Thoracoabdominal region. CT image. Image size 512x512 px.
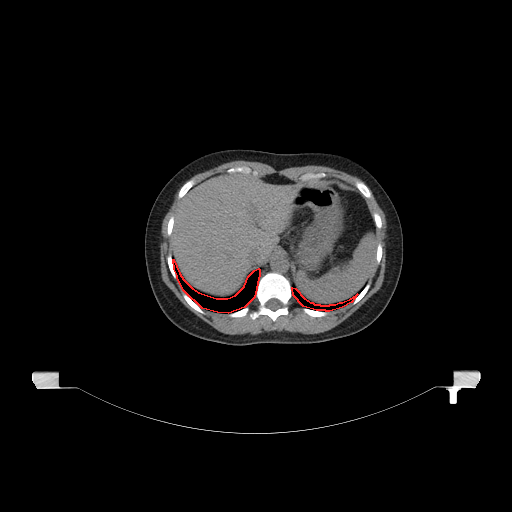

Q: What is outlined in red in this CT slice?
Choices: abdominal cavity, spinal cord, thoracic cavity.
A: red: thoracic cavity.
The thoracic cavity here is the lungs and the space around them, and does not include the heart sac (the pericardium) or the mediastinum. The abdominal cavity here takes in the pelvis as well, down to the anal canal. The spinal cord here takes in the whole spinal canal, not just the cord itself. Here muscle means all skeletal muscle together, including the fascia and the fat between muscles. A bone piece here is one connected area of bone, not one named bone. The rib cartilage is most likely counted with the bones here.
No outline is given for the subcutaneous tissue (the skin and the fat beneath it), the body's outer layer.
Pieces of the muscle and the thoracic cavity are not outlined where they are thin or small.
{"thoracic_cavity":[[[173,259],[179,273],[183,279],[192,288],[198,292],[216,298],[227,298],[235,295],[244,286],[248,276],[254,270],[258,268],[259,269],[259,274],[254,297],[244,307],[228,313],[217,312],[202,308],[184,291],[177,278],[177,275],[174,269]],[[292,287],[295,288],[304,298],[310,302],[312,302],[314,304],[319,304],[320,305],[329,305],[330,304],[335,304],[339,302],[342,302],[351,298],[357,294],[351,302],[342,307],[329,311],[326,311],[325,310],[316,310],[303,306],[293,295]]],"mediastinum":[[[276,251],[283,252],[291,259],[291,265],[292,266],[292,283],[291,283],[283,274],[276,271],[268,271],[263,274],[259,278],[259,275],[260,274],[260,267],[264,262],[265,262],[266,260],[267,260],[268,258],[269,258],[270,256],[271,256],[272,254]]],"spinal_cord":[[[272,298],[275,298],[276,299],[277,299],[282,304],[282,306],[281,307],[280,307],[279,308],[278,308],[277,309],[276,309],[275,310],[272,310],[271,309],[270,309],[268,307],[267,307],[266,306],[266,303],[270,299],[271,299]]],"muscle":[[[177,191],[177,197],[181,199],[175,215],[171,215],[167,221],[166,234],[170,237],[171,252],[165,258],[172,277],[177,279],[183,290],[183,298],[201,314],[205,313],[203,309],[227,314],[231,318],[240,318],[248,314],[252,320],[265,315],[274,322],[278,317],[289,314],[288,304],[293,296],[303,307],[303,312],[314,318],[324,317],[330,311],[350,303],[356,304],[370,288],[370,276],[376,263],[380,263],[383,253],[383,246],[378,243],[376,234],[376,229],[382,227],[382,219],[376,211],[371,212],[366,200],[372,197],[372,192],[385,214],[387,225],[386,267],[382,285],[341,323],[323,332],[305,334],[275,330],[253,335],[220,332],[186,308],[161,277],[161,225]],[[234,160],[261,162],[268,164],[278,170],[296,166],[323,165],[344,171],[349,174],[357,176],[362,180],[356,180],[354,182],[354,187],[339,179],[326,177],[328,175],[324,171],[308,171],[303,173],[297,180],[291,179],[278,173],[271,173],[260,176],[258,175],[258,172],[255,169],[252,169],[247,165],[237,165],[229,167],[225,171],[211,174],[196,183],[196,181],[193,178],[190,178],[195,174]],[[254,298],[255,298],[256,299],[256,300],[257,301],[257,302],[258,303],[258,304],[257,305],[257,307],[256,308],[256,309],[254,309],[253,310],[252,310],[251,311],[250,311],[250,303],[251,302],[251,301]]],"bones":[{"outer":[[268,272],[276,272],[283,275],[291,284],[292,296],[287,304],[288,314],[282,314],[274,321],[265,314],[262,314],[254,319],[252,319],[248,313],[240,317],[229,316],[229,313],[238,311],[249,304],[250,312],[257,309],[259,303],[255,294],[258,281]],"hole":[[272,298],[275,298],[276,299],[277,299],[282,304],[282,306],[281,307],[280,307],[279,308],[278,308],[277,309],[276,309],[275,310],[272,310],[271,309],[270,309],[268,307],[267,307],[266,306],[266,303],[270,299],[271,299]]},[[237,166],[247,166],[248,167],[249,167],[252,170],[255,170],[257,172],[257,174],[256,175],[254,175],[252,173],[243,173],[242,172],[227,172],[226,171],[227,170],[227,169],[228,169],[229,168],[231,168],[232,167],[236,167]],[[358,180],[359,180],[360,181],[362,181],[369,188],[369,189],[370,190],[370,191],[371,192],[371,197],[370,197],[369,198],[366,198],[365,197],[364,197],[364,196],[359,191],[359,190],[355,186],[355,182],[356,181],[357,181]],[[308,172],[310,172],[311,173],[318,173],[319,172],[324,172],[325,173],[326,173],[327,176],[326,176],[325,177],[323,177],[322,178],[319,178],[318,179],[309,179],[308,180],[301,180],[300,179],[300,177],[303,174],[304,174],[305,173],[307,173]],[[189,179],[193,179],[195,181],[195,183],[187,191],[187,192],[181,198],[179,198],[178,197],[178,191],[179,190],[179,189],[181,187],[181,186],[186,181],[187,181]],[[304,307],[305,308],[307,308],[308,309],[310,309],[311,310],[315,310],[316,311],[325,311],[326,312],[328,312],[328,313],[324,316],[321,316],[320,317],[314,317],[313,316],[311,316],[307,313],[304,312],[304,311],[303,310],[303,308]],[[183,292],[184,292],[195,303],[196,303],[204,311],[204,313],[201,313],[200,312],[199,312],[198,311],[197,311],[196,310],[195,310],[186,301],[186,300],[184,298],[184,297],[183,296]],[[368,282],[369,282],[370,283],[370,286],[369,287],[369,288],[367,290],[367,291],[365,293],[365,294],[356,303],[355,303],[354,304],[353,304],[352,303],[352,302],[353,301],[353,300],[357,296],[357,295],[363,289],[363,288],[366,285],[366,284]],[[170,253],[171,253],[171,257],[172,258],[172,264],[173,265],[173,269],[176,275],[176,278],[174,278],[173,277],[169,269],[169,267],[168,266],[168,263],[167,262],[167,259],[166,258],[167,257],[167,255]],[[374,212],[376,212],[380,216],[380,218],[381,219],[381,227],[380,228],[377,228],[376,227],[376,226],[375,225],[375,222],[374,221],[374,219],[373,218],[373,216],[372,215],[372,214]],[[379,243],[380,243],[381,244],[381,245],[382,246],[382,253],[381,254],[381,258],[380,259],[380,261],[379,262],[379,263],[377,263],[376,262],[376,250],[377,249],[377,245]],[[171,216],[173,216],[174,217],[174,220],[173,221],[173,227],[172,228],[172,230],[171,231],[171,234],[170,235],[168,235],[167,234],[167,225],[168,224],[168,221],[169,220],[169,219],[170,218],[170,217]]],"abdominal_cavity":[[[222,172],[260,177],[278,174],[294,181],[331,178],[357,189],[365,198],[376,228],[375,266],[365,285],[342,301],[314,303],[292,286],[292,259],[283,251],[276,250],[231,296],[216,297],[192,287],[172,257],[170,236],[176,211],[182,198],[195,184]]],"torso":[[[236,148],[275,153],[339,154],[361,164],[383,187],[400,219],[404,246],[403,263],[389,303],[379,317],[366,328],[345,337],[316,343],[228,345],[192,336],[179,329],[164,315],[150,287],[144,258],[144,234],[151,206],[165,183],[188,162],[210,152]]]}